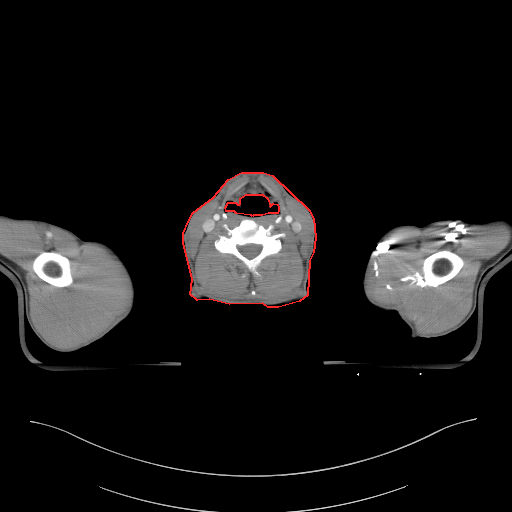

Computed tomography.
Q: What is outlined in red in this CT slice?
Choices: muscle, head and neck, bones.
A: red: head and neck.
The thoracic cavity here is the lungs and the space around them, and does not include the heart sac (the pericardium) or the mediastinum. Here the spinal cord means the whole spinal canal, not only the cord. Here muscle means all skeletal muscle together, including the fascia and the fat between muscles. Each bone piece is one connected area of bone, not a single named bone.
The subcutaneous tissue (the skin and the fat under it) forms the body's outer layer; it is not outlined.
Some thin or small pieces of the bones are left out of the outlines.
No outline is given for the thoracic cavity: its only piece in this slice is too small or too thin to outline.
{"head_and_neck":[{"outer":[[241,172],[263,172],[272,175],[308,209],[313,218],[315,237],[313,252],[309,260],[307,295],[299,301],[278,307],[268,307],[262,303],[229,304],[209,299],[197,300],[190,294],[192,279],[183,242],[183,233],[188,221],[193,212],[213,197],[228,179]],"hole":[[246,194],[262,194],[267,198],[270,206],[273,203],[277,204],[278,206],[278,211],[277,213],[268,213],[262,215],[253,215],[252,216],[251,215],[236,213],[234,211],[226,211],[225,207],[228,202],[235,202],[237,204],[239,204],[240,203],[240,198]]}],"right_arm":[[[0,214],[6,214],[13,217],[44,220],[66,228],[84,240],[98,240],[109,245],[121,258],[133,280],[135,299],[130,313],[100,339],[75,351],[60,352],[53,350],[45,345],[33,332],[29,323],[26,320],[23,289],[19,277],[7,266],[0,262]]],"spinal_cord":[[[247,244],[259,244],[260,245],[261,245],[261,250],[259,252],[259,253],[257,255],[256,255],[254,257],[253,257],[252,258],[248,258],[247,257],[246,257],[245,256],[244,256],[239,251],[239,250],[237,247],[237,246],[242,246],[243,245],[246,245]]],"left_arm":[[[498,218],[511,222],[511,251],[483,274],[478,282],[475,311],[458,329],[438,337],[414,338],[410,335],[408,325],[395,311],[381,309],[365,297],[362,289],[362,278],[368,257],[378,247],[380,236],[392,226],[398,224],[423,226],[444,219],[485,222]]],"muscle":[{"outer":[[0,219],[44,224],[68,233],[80,244],[94,243],[107,249],[120,264],[127,278],[129,301],[126,309],[100,333],[83,343],[70,348],[59,348],[50,344],[38,332],[30,318],[28,297],[26,296],[23,280],[20,277],[19,267],[14,262],[0,254]],"hole":[[43,251],[54,251],[55,252],[57,252],[65,256],[70,261],[71,273],[72,274],[72,277],[73,278],[73,281],[70,285],[66,287],[56,287],[43,280],[36,274],[36,273],[33,270],[33,268],[32,267],[32,263],[33,262],[34,258]]},{"outer":[[440,224],[479,226],[501,224],[509,230],[510,238],[500,252],[485,261],[481,266],[473,290],[474,301],[466,315],[449,329],[424,334],[419,333],[414,323],[398,308],[378,304],[368,291],[367,279],[376,250],[392,231],[402,227],[422,230],[436,227]],"hole":[[440,250],[449,250],[454,252],[463,259],[464,261],[464,264],[457,274],[447,281],[441,284],[439,284],[435,287],[433,287],[432,286],[425,286],[424,287],[424,281],[423,280],[423,266],[422,265],[423,260],[426,257],[429,256],[431,254],[435,253]]},{"outer":[[244,176],[248,177],[264,176],[271,179],[277,184],[286,196],[299,204],[304,209],[309,217],[312,228],[311,239],[309,247],[307,249],[306,254],[302,260],[303,277],[299,286],[299,293],[297,295],[277,300],[268,300],[258,298],[232,299],[203,293],[199,289],[200,284],[195,275],[195,261],[191,256],[190,248],[188,244],[189,228],[194,217],[202,208],[213,201],[217,200],[222,195],[223,192],[230,183],[237,178]],"holes":[[[246,218],[251,218],[264,227],[273,224],[275,232],[285,233],[280,238],[282,244],[281,249],[277,253],[265,257],[256,268],[259,276],[249,271],[237,257],[218,251],[214,245],[218,236],[226,233],[223,227],[224,224],[232,229],[241,220]],[[246,194],[262,194],[267,198],[270,206],[273,203],[276,203],[277,204],[278,206],[277,213],[268,213],[262,215],[253,215],[252,216],[251,215],[236,213],[234,211],[226,211],[225,207],[228,202],[235,202],[237,204],[239,204],[240,203],[240,198]]]}],"bones":[{"outer":[[246,218],[251,218],[264,227],[273,224],[275,232],[285,233],[280,238],[282,244],[281,249],[277,253],[265,257],[256,268],[259,276],[249,271],[237,257],[218,251],[214,245],[218,236],[226,233],[223,227],[224,224],[232,229],[241,220]],"hole":[[247,244],[259,244],[260,245],[261,245],[261,250],[259,252],[259,253],[257,255],[256,255],[254,257],[253,257],[252,258],[248,258],[247,257],[246,257],[245,256],[244,256],[239,251],[239,250],[237,247],[237,246],[242,246],[243,245],[246,245]]},[[440,250],[449,250],[454,252],[463,259],[464,261],[464,264],[457,274],[447,281],[441,284],[439,284],[435,287],[433,287],[432,286],[425,286],[424,287],[424,281],[423,280],[423,266],[422,265],[423,260],[426,257],[429,256],[431,254],[435,253]],[[43,251],[54,251],[55,252],[57,252],[65,256],[70,261],[71,273],[72,274],[72,277],[73,278],[73,281],[70,285],[66,287],[56,287],[43,280],[36,274],[36,273],[33,270],[33,268],[32,267],[32,263],[33,262],[34,258]]]}